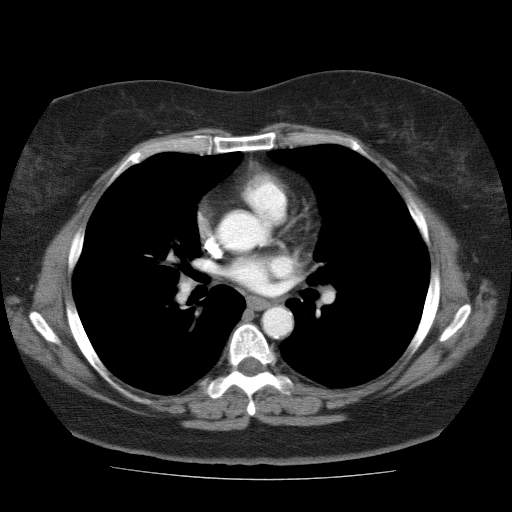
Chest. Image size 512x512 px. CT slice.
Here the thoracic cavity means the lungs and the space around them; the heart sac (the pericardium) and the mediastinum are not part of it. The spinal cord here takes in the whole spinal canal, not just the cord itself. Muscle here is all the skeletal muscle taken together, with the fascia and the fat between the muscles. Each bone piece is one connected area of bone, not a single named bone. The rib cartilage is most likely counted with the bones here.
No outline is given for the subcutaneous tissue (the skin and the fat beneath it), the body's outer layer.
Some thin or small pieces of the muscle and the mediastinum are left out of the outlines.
{"mediastinum":[[[296,287],[297,288],[295,291],[285,301],[285,305],[289,308],[293,315],[294,327],[289,336],[280,343],[278,351],[276,351],[269,344],[262,331],[254,323],[243,322],[236,326],[246,307],[246,302],[244,297],[234,288],[265,301],[271,301],[283,296]],[[261,150],[270,150],[268,152],[268,156],[272,160],[296,170],[305,176],[310,182],[315,194],[310,184],[300,176],[297,176],[279,166],[267,163],[259,159],[250,158],[242,163],[217,187],[204,195],[232,172],[240,162],[243,156],[242,152]],[[201,251],[201,255],[202,256],[201,257],[203,260],[203,263],[204,264],[205,268],[215,277],[216,277],[219,281],[223,283],[226,283],[228,284],[228,285],[223,284],[219,281],[216,280],[204,270],[203,268],[203,265],[202,264],[202,261],[201,260]]],"bones":[{"outer":[[243,323],[254,324],[261,331],[275,351],[279,365],[294,382],[290,394],[284,394],[269,384],[258,389],[252,396],[255,406],[255,413],[252,416],[246,409],[248,397],[237,385],[231,385],[220,397],[212,398],[197,384],[198,381],[216,371],[233,330]],"hole":[[248,357],[251,357],[252,358],[254,358],[255,359],[256,359],[260,363],[260,364],[261,365],[261,370],[259,372],[258,372],[254,375],[246,375],[242,372],[241,372],[238,368],[238,367],[239,366],[239,364],[244,359],[245,359]]},[[296,130],[336,134],[352,138],[371,157],[372,161],[349,147],[335,143],[293,147],[279,146],[272,149],[213,154],[161,151],[130,166],[106,187],[111,176],[130,154],[145,144],[154,141],[189,137],[195,134],[230,137],[261,134],[270,131],[283,134]],[[70,300],[72,300],[74,302],[84,331],[98,357],[109,371],[110,377],[128,391],[140,397],[149,399],[151,401],[150,403],[147,404],[146,403],[138,402],[126,396],[113,387],[105,380],[89,363],[77,345],[68,324],[67,316],[66,315],[66,302]],[[432,269],[437,269],[439,272],[439,276],[440,277],[440,295],[439,296],[438,307],[435,313],[433,322],[426,336],[415,352],[411,355],[410,357],[408,357],[407,354],[403,355],[403,353],[408,346],[418,327],[425,303],[425,299],[430,281],[430,274]],[[405,195],[407,195],[410,197],[416,203],[424,215],[425,221],[427,225],[428,237],[429,238],[429,241],[430,242],[430,245],[429,247],[427,247],[426,244],[424,242],[418,230],[418,228],[410,214],[410,212],[405,202],[405,197],[404,196]],[[467,303],[471,306],[471,310],[465,322],[461,326],[461,327],[460,327],[451,336],[450,336],[447,339],[441,342],[439,341],[439,337],[440,335],[442,333],[444,329],[450,323],[450,322],[454,317],[454,315],[456,313],[457,310],[462,305],[466,304]],[[84,224],[86,225],[85,226],[85,231],[83,236],[83,243],[81,248],[81,252],[80,253],[79,258],[74,267],[74,269],[72,273],[70,274],[68,272],[68,256],[69,255],[69,251],[71,246],[71,242],[75,232],[80,226]],[[31,311],[36,311],[38,312],[43,317],[43,318],[48,324],[48,325],[60,339],[60,341],[61,342],[60,344],[56,344],[53,342],[51,342],[50,341],[48,341],[46,340],[45,338],[34,327],[34,326],[32,324],[29,318],[29,313]]],"muscle":[{"outer":[[276,122],[340,130],[388,159],[411,178],[418,194],[454,234],[459,261],[470,276],[470,290],[476,293],[482,277],[492,282],[498,293],[495,316],[485,336],[457,366],[388,399],[352,405],[350,417],[342,421],[295,426],[271,425],[252,418],[243,429],[219,431],[183,427],[174,419],[133,413],[90,396],[60,380],[16,345],[4,297],[29,297],[30,284],[41,269],[46,247],[77,209],[80,197],[134,145],[170,133],[213,127],[234,135],[195,133],[170,137],[145,143],[130,153],[105,184],[87,223],[74,232],[67,256],[73,300],[65,302],[65,315],[71,335],[88,363],[117,391],[147,405],[152,402],[149,398],[123,387],[110,372],[134,388],[157,395],[174,395],[196,383],[210,398],[217,399],[234,385],[246,395],[245,409],[252,417],[256,413],[253,396],[263,387],[269,385],[284,395],[291,394],[295,382],[280,365],[328,388],[349,388],[377,378],[402,355],[410,358],[434,322],[441,295],[440,272],[430,266],[431,242],[424,213],[410,196],[405,194],[403,199],[352,137],[296,129],[254,133]],"holes":[[[467,303],[471,306],[471,310],[465,322],[461,326],[461,327],[460,327],[451,336],[450,336],[447,339],[441,342],[439,341],[439,337],[440,335],[442,333],[444,329],[450,323],[450,322],[454,317],[454,315],[456,313],[457,310],[462,305],[466,304]],[[31,311],[36,311],[38,312],[43,317],[43,318],[48,324],[48,325],[60,339],[60,341],[61,342],[60,344],[56,344],[53,342],[51,342],[50,341],[48,341],[46,340],[45,338],[34,327],[34,326],[32,324],[29,318],[29,313]]]}],"pericardium":[[[250,159],[259,160],[279,167],[305,180],[315,195],[316,206],[319,213],[320,223],[317,239],[311,254],[311,259],[303,272],[302,281],[288,292],[271,300],[265,300],[219,280],[206,268],[200,245],[197,223],[198,204],[204,196],[217,188],[242,164]]],"spinal_cord":[[[248,357],[251,357],[252,358],[254,358],[255,359],[256,359],[260,363],[260,364],[261,365],[261,370],[259,372],[258,372],[254,375],[246,375],[242,372],[241,372],[238,368],[238,367],[239,366],[239,364],[244,359],[245,359]]],"torso":[[[332,69],[401,76],[452,95],[472,119],[493,160],[508,215],[511,272],[495,345],[463,405],[430,440],[327,463],[171,461],[104,448],[74,436],[46,402],[22,360],[8,321],[0,272],[10,183],[47,107],[60,95],[114,81],[166,79],[250,90]]],"thoracic_cavity":[[[161,152],[242,154],[231,172],[200,198],[197,203],[196,223],[203,270],[216,281],[237,291],[243,297],[245,307],[216,367],[174,394],[157,394],[134,387],[108,369],[85,331],[72,289],[72,274],[82,252],[86,226],[98,201],[123,172]],[[318,144],[349,148],[372,162],[386,176],[404,201],[429,256],[429,281],[421,315],[404,351],[377,377],[349,387],[328,387],[305,377],[280,364],[276,352],[294,330],[294,315],[286,301],[306,278],[322,214],[309,179],[300,171],[272,159],[269,152]]]}